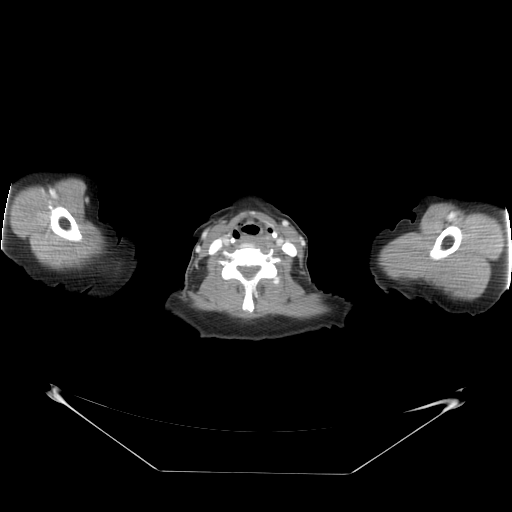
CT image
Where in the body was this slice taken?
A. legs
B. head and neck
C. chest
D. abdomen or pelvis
B. head and neck
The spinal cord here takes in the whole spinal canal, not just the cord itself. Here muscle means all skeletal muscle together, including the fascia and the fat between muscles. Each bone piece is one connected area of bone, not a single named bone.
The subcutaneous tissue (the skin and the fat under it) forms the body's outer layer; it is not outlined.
Outlines:
bones 1: [[242,243],[254,244],[263,253],[272,248],[273,255],[280,259],[275,263],[276,275],[271,278],[262,278],[257,283],[257,295],[253,297],[254,308],[251,312],[242,309],[243,285],[235,278],[222,278],[222,265],[218,261],[224,258],[224,251],[232,252]]; inner edge: [[239,266],[246,266],[247,267],[250,267],[251,266],[257,266],[258,267],[259,267],[259,268],[258,269],[258,270],[253,275],[253,276],[252,276],[251,277],[250,277],[249,278],[247,278],[246,277],[245,277],[241,273],[241,272],[238,269],[238,267]]
bones 2: [[57,205],[62,206],[66,209],[67,209],[67,210],[74,218],[76,223],[78,225],[78,228],[82,236],[82,238],[80,241],[71,241],[70,240],[65,239],[53,232],[53,231],[51,229],[50,227],[50,209],[53,206],[56,206]]
bones 3: [[449,225],[455,225],[457,226],[461,230],[463,234],[463,236],[461,240],[461,243],[459,247],[455,251],[449,254],[447,256],[443,258],[441,258],[440,259],[432,259],[429,256],[429,252],[431,248],[433,246],[434,244],[434,242],[437,236],[447,226]]
left arm: [[427,194],[485,199],[507,208],[511,225],[511,286],[491,308],[483,313],[474,316],[467,313],[451,314],[421,299],[412,301],[402,297],[397,292],[386,294],[374,282],[368,270],[368,251],[373,237],[380,230],[394,226],[400,219],[408,218],[418,200]]
head and neck: [[243,188],[259,191],[289,215],[306,234],[309,242],[307,267],[313,281],[318,287],[355,303],[345,320],[344,328],[334,326],[330,329],[323,328],[290,337],[259,341],[201,338],[191,327],[162,309],[169,294],[183,283],[194,245],[192,235],[195,229]] with a hole at [[246,224],[247,224],[248,225],[254,225],[255,226],[258,227],[258,228],[259,229],[258,232],[255,234],[253,234],[250,232],[246,232],[245,231],[244,231],[244,230],[243,229],[243,227],[244,226],[244,225],[245,225]]
right arm: [[39,169],[76,170],[89,175],[98,188],[99,218],[110,222],[119,236],[129,234],[133,237],[139,258],[137,267],[130,279],[111,296],[95,301],[83,293],[66,293],[59,285],[49,288],[32,280],[21,267],[3,253],[0,229],[10,184],[18,176]]
muscle 1: [[248,202],[258,202],[267,207],[287,220],[299,233],[305,243],[302,260],[303,282],[306,288],[319,292],[325,297],[332,307],[329,313],[304,320],[285,316],[268,316],[245,321],[219,312],[198,311],[184,301],[194,277],[196,246],[202,232],[213,220]]; inner edge: [[242,243],[254,244],[263,253],[272,248],[273,255],[280,259],[275,263],[276,275],[271,278],[262,278],[257,283],[257,295],[253,297],[254,308],[251,312],[242,309],[243,285],[235,278],[222,278],[222,265],[218,261],[224,258],[224,251],[232,252]]
muscle 2: [[435,202],[451,202],[464,209],[480,210],[489,213],[502,212],[503,214],[508,213],[510,216],[511,242],[496,261],[484,292],[472,301],[451,299],[439,290],[425,284],[401,283],[390,279],[376,264],[376,256],[379,249],[402,233],[414,229],[427,207]], around a hole outlined by [[449,225],[455,225],[457,226],[461,230],[463,234],[463,236],[461,240],[461,243],[459,247],[455,251],[449,254],[447,256],[443,258],[441,258],[440,259],[432,259],[429,256],[429,252],[431,248],[433,246],[434,244],[434,242],[437,236],[447,226]]
muscle 3: [[71,176],[80,178],[85,182],[91,203],[89,214],[96,225],[103,231],[107,237],[113,253],[107,262],[90,269],[88,271],[59,272],[43,266],[35,258],[31,250],[11,230],[8,219],[8,213],[14,189],[18,189],[22,186],[43,179],[63,178]]; inner edge: [[57,205],[62,206],[66,209],[67,209],[67,210],[74,218],[76,223],[78,225],[78,228],[82,236],[82,238],[80,241],[71,241],[70,240],[65,239],[53,232],[53,231],[51,229],[50,227],[50,209],[53,206],[56,206]]
spinal cord: [[239,266],[246,266],[247,267],[250,267],[251,266],[257,266],[258,267],[259,267],[259,268],[258,269],[258,270],[253,275],[253,276],[252,276],[251,277],[250,277],[249,278],[247,278],[246,277],[245,277],[241,273],[241,272],[238,269],[238,267]]